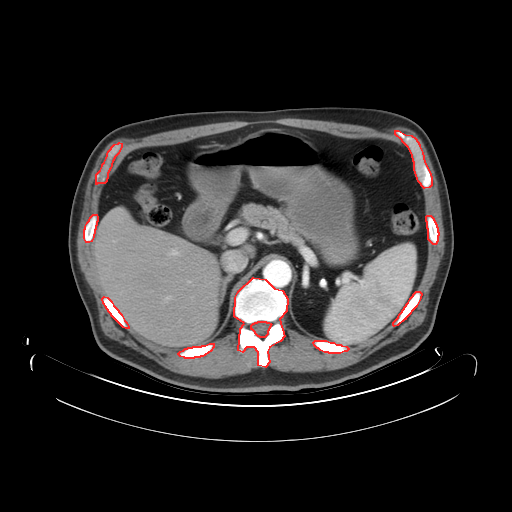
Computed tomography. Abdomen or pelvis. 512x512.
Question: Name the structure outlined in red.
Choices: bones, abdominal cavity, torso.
Answer: red: bones.
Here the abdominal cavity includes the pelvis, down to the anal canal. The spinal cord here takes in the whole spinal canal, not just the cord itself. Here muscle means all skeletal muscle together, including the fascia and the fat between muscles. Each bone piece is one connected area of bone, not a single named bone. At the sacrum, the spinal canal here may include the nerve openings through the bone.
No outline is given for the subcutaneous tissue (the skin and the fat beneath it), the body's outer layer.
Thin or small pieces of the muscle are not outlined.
{"bones":[{"outer":[[253,277],[265,279],[274,288],[282,290],[287,298],[286,311],[279,319],[284,336],[280,341],[269,347],[267,351],[269,362],[265,367],[258,365],[258,352],[254,347],[246,347],[242,352],[238,350],[240,328],[244,323],[234,316],[235,297],[238,291]],"hole":[[258,321],[265,321],[266,322],[268,322],[271,324],[270,325],[270,326],[269,327],[269,328],[267,331],[267,334],[264,337],[260,337],[259,336],[258,336],[255,333],[255,332],[252,329],[251,329],[251,325],[253,323],[254,323],[255,322],[257,322]]},[[395,130],[398,130],[405,134],[411,135],[415,138],[419,144],[419,146],[422,152],[424,162],[429,171],[431,177],[431,185],[429,187],[424,188],[418,181],[414,169],[414,162],[413,161],[412,154],[408,147],[402,141],[402,140],[395,134]],[[119,142],[121,143],[121,146],[118,153],[115,156],[112,161],[110,168],[107,173],[107,178],[106,179],[106,181],[104,183],[97,183],[96,184],[96,174],[100,170],[102,166],[102,164],[104,162],[106,158],[108,151],[114,144],[118,143]],[[209,343],[213,343],[213,347],[210,351],[202,356],[200,356],[199,357],[194,357],[193,358],[185,358],[184,357],[180,356],[178,354],[178,353],[180,351],[183,350],[185,348],[187,348],[188,347],[192,347],[193,346],[201,346],[202,345],[205,345]],[[416,291],[419,291],[421,293],[420,298],[416,306],[405,318],[405,319],[404,319],[397,325],[394,326],[393,325],[393,322],[398,317],[399,314],[402,311],[402,310],[404,308],[404,307],[406,305],[406,304],[408,302],[410,298]],[[315,340],[326,340],[330,342],[333,342],[336,344],[340,344],[341,345],[346,346],[348,348],[348,349],[346,351],[344,351],[340,353],[329,353],[328,352],[324,352],[320,350],[318,348],[317,348],[314,345],[313,342]],[[104,296],[107,297],[111,301],[113,305],[118,310],[118,311],[121,314],[124,320],[126,322],[128,326],[128,328],[125,328],[123,327],[111,315],[111,314],[108,311],[108,310],[106,308],[106,307],[103,303],[102,298]],[[93,214],[96,214],[97,216],[97,221],[96,222],[96,225],[95,226],[95,229],[94,230],[93,237],[91,241],[89,242],[86,242],[84,238],[84,229],[85,228],[85,226],[87,222],[89,220],[90,217]],[[427,215],[430,215],[433,218],[433,219],[434,220],[434,221],[436,224],[436,226],[437,227],[437,231],[438,232],[438,235],[437,236],[437,241],[435,244],[433,244],[428,239],[428,229],[427,228],[427,222],[426,221],[426,216]]],"muscle":[[[280,118],[326,120],[372,128],[403,126],[413,130],[422,140],[438,181],[445,243],[423,322],[347,367],[320,372],[286,372],[268,366],[270,347],[285,336],[280,319],[287,310],[300,330],[321,339],[315,339],[313,345],[329,354],[340,354],[349,347],[367,342],[392,322],[394,327],[400,324],[421,298],[422,293],[417,289],[426,267],[428,240],[435,245],[439,232],[434,218],[426,214],[423,188],[432,185],[432,177],[420,144],[411,134],[395,129],[394,134],[402,142],[399,144],[380,137],[343,137],[280,123],[260,123],[179,143],[133,149],[108,176],[122,146],[119,141],[114,143],[95,174],[95,184],[104,184],[97,213],[89,217],[83,229],[84,241],[91,242],[91,267],[103,294],[102,303],[123,328],[130,326],[146,340],[164,348],[180,350],[177,353],[180,357],[193,359],[212,350],[212,342],[226,331],[233,316],[243,323],[239,328],[238,352],[254,348],[260,367],[223,378],[184,375],[107,337],[99,325],[92,290],[80,270],[76,247],[85,187],[103,149],[118,137],[137,138],[234,120]]],"spinal_cord":[[[258,321],[265,321],[266,322],[268,322],[271,324],[270,325],[270,326],[269,327],[269,328],[267,331],[267,334],[264,337],[260,337],[259,336],[258,336],[255,333],[255,332],[252,329],[251,329],[251,325],[253,323],[254,323],[255,322],[257,322]]],"abdominal_cavity":[[[260,124],[343,138],[380,138],[407,147],[424,194],[427,229],[427,257],[416,290],[391,323],[348,347],[300,329],[287,309],[284,291],[254,276],[237,291],[233,315],[213,341],[181,350],[146,339],[104,295],[92,267],[98,202],[108,177],[133,150]]],"torso":[[[325,106],[376,108],[401,114],[417,123],[432,142],[449,194],[453,256],[435,322],[426,339],[413,353],[358,379],[322,389],[269,393],[218,394],[184,389],[154,379],[106,354],[94,339],[68,251],[75,189],[87,158],[101,138],[124,124],[170,114]]]}